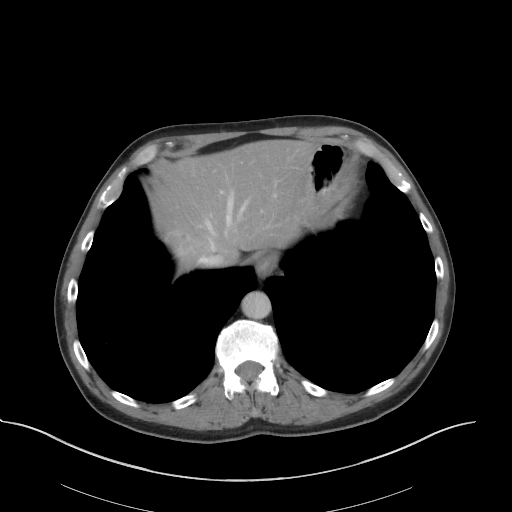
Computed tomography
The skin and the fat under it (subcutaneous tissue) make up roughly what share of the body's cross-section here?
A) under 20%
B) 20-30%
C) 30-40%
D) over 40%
A) under 20%
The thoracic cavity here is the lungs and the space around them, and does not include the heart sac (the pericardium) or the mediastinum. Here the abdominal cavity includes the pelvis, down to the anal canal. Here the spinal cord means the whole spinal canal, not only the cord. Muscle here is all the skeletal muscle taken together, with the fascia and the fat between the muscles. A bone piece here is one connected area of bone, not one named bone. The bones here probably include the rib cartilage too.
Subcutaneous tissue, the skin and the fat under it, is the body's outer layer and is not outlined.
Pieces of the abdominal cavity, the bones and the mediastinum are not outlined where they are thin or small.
muscle: 329,125 344,126 357,130 369,136 380,145 387,149 394,156 410,177 422,201 431,215 437,228 439,237 446,256 449,270 448,299 444,310 444,327 441,337 429,359 420,371 402,389 391,396 389,396 387,398 379,401 371,406 362,408 357,411 349,413 329,421 312,425 280,424 279,423 272,423 262,419 252,419 240,426 233,428 224,428 220,430 213,430 212,429 211,430 194,430 172,425 166,425 161,423 146,421 132,417 116,409 108,403 102,401 97,397 86,386 75,368 69,355 67,340 66,339 66,331 64,327 64,314 61,300 61,288 63,283 64,274 67,268 67,264 69,261 69,257 77,240 77,237 82,227 82,225 97,194 112,173 119,166 124,163 129,158 132,153 140,146 150,140 163,136 213,133 221,131 226,131 227,132 230,131 247,131 248,130 257,130 258,129 266,129 275,127 289,127 290,126 328,126 with a hole at 247,134 335,136 353,148 354,139 363,138 391,161 411,185 406,194 411,205 431,224 432,231 426,234 429,248 443,264 434,298 437,334 426,350 419,348 390,386 369,396 365,390 310,394 301,383 304,377 280,351 273,362 276,395 246,390 227,398 216,360 191,391 196,400 185,407 175,409 170,401 137,399 139,407 122,403 92,366 87,370 78,361 73,349 73,341 79,338 76,303 67,300 69,281 79,278 87,254 81,243 90,230 97,229 104,212 97,207 99,198 122,167 130,172 139,167 131,163 149,145 158,145 157,156 176,147 191,151
torso: 293,114 342,117 378,132 397,150 435,211 451,253 456,291 450,331 430,373 407,401 376,420 309,436 261,434 227,442 186,443 138,433 101,416 85,400 63,361 53,316 64,251 98,182 129,143 152,129
abdominal cavity: 247,134 335,136 377,161 383,169 373,161 367,164 370,193 362,220 342,221 334,231 309,237 287,254 281,247 266,247 236,266 195,271 171,283 173,264 152,233 138,178 144,169 138,168 172,148 191,151
mediastinum: 275,247 283,249 284,252 280,256 272,273 264,280 263,283 264,291 271,302 274,327 269,323 248,318 238,318 225,325 238,307 243,296 257,287 257,277 254,266 244,265 238,267 238,265 244,258 257,251
spinal cord: 246,361 253,361 254,362 256,362 260,364 262,367 262,369 261,371 257,375 257,376 253,380 251,381 245,381 244,380 242,380 241,377 236,372 236,369 237,367 240,364
thoracic cavity 1: 369,162 377,164 391,183 406,195 426,233 436,278 434,315 421,346 396,375 365,390 346,393 328,390 312,382 286,361 264,283 281,256 309,238 332,233 342,222 360,223 363,220 371,193 366,179
thoracic cavity 2: 137,169 143,169 137,178 151,233 172,264 171,284 195,272 237,266 253,266 256,277 256,287 242,296 216,337 210,373 169,402 138,400 112,389 90,363 78,335 78,279 86,255 104,210 121,194 127,175
bones 1: 238,319 253,320 269,324 274,328 280,346 278,356 273,362 279,388 276,395 272,395 269,392 259,392 256,390 251,392 246,390 244,392 235,392 231,399 225,396 222,384 223,371 215,357 215,345 222,328, around a hole outlined by 246,361 253,361 254,362 256,362 260,364 262,367 262,369 261,371 257,375 257,376 253,380 251,381 245,381 244,380 242,380 241,377 236,372 236,369 237,367 240,364
bones 2: 356,138 363,138 369,140 381,152 382,152 391,161 397,169 401,172 404,178 408,181 411,185 409,191 406,194 401,191 392,183 389,179 384,168 377,160 370,156 368,156 362,153 354,146 353,141 354,139
bones 3: 124,166 129,167 129,172 126,175 123,181 122,188 121,189 120,194 118,197 106,208 104,209 98,208 97,207 97,205 98,204 99,198 101,194 106,187 113,181 113,180 116,177 118,172 122,168 122,167
bones 4: 152,144 157,144 158,145 158,150 157,151 157,153 156,154 156,155 150,161 148,161 144,164 142,164 139,166 133,166 131,163 132,162 133,159 138,154 138,153 147,146 148,146 149,145 151,145
bones 5: 75,339 78,339 79,340 81,344 81,346 86,355 86,357 89,363 91,365 89,370 87,370 85,369 80,364 80,363 78,361 75,355 75,353 73,349 73,341
bones 6: 434,318 436,318 438,320 438,330 437,331 437,334 434,338 433,341 429,346 429,347 426,350 424,351 422,351 421,350 421,347 426,338 426,336 428,333 428,331 430,328 430,326
bones 7: 304,378 307,379 312,383 313,383 314,384 315,384 316,385 317,385 318,386 319,386 320,387 327,390 327,393 324,396 316,396 315,395 312,395 311,394 310,394 305,390 304,387 301,383 301,380
bones 8: 392,377 394,377 394,378 395,379 394,382 390,386 389,386 384,390 383,390 380,392 378,392 375,394 370,395 369,396 365,396 364,395 364,393 366,391 366,390 367,390 370,387 371,387 388,378 391,378
bones 9: 190,392 193,392 196,395 196,400 193,403 192,403 185,407 183,407 182,408 180,408 179,409 175,409 172,406 172,405 171,404 171,402 172,401 173,401 174,400 176,400 177,399 178,399 179,398 188,394
bones 10: 112,390 118,391 121,393 123,393 133,398 135,400 136,400 136,401 139,404 139,407 134,407 133,406 131,406 130,405 128,405 127,404 125,404 124,403 120,402 118,400 117,400 111,394 111,391
bones 11: 71,278 74,278 75,279 76,279 77,280 77,296 76,297 76,300 75,301 75,302 74,303 73,303 72,302 68,302 68,301 67,300 67,288 68,287 68,284 69,283 69,281 70,280 70,279
bones 12: 90,230 94,230 94,235 93,236 93,239 92,240 92,243 91,244 91,245 90,246 89,249 87,251 87,252 84,252 81,250 81,243 82,242 82,241 83,240 84,237 86,235 86,234
bones 13: 419,212 422,212 424,214 424,215 427,218 427,219 431,224 431,226 432,227 432,231 430,233 427,233 425,231 425,230 424,229 424,228 423,227 423,226 421,223 421,221 419,218 419,216 418,215 418,213